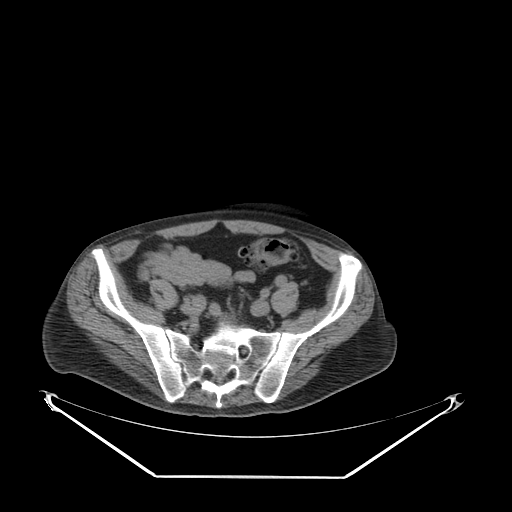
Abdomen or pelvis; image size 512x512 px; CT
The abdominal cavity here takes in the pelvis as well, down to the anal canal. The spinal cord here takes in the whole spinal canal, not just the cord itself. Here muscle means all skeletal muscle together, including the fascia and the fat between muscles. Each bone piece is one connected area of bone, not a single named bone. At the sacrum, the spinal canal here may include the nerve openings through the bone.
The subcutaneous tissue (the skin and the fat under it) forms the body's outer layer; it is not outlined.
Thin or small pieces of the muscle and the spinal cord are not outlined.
The abdominal cavity is outlined by 218 223; 234 233; 299 239; 331 273; 324 303; 285 318; 299 302; 291 280; 270 298; 283 318; 276 330; 223 317; 195 347; 187 333; 167 327; 163 313; 175 305; 175 289; 154 278; 148 303; 138 300; 118 265; 146 238; 193 236. The bones are outlined by 94 248; 102 248; 132 316; 187 334; 195 348; 223 318; 262 332; 306 331; 331 308; 340 252; 362 268; 347 309; 296 350; 274 402; 263 402; 253 383; 224 394; 217 408; 216 395; 196 381; 174 402; 165 399; 141 337; 100 299, around a hole outlined by 206 370; 208 370; 213 377; 215 376; 227 376; 228 377; 231 374; 231 372; 232 371; 234 371; 235 372; 235 374; 234 375; 234 377; 232 379; 230 379; 229 378; 222 384; 217 384; 215 383; 210 378; 209 378; 205 375; 205 371. The torso is outlined by 259 201; 288 204; 317 216; 324 222; 321 224; 324 228; 345 239; 363 256; 374 276; 385 315; 397 332; 396 354; 385 370; 293 411; 201 417; 146 406; 79 375; 56 372; 47 364; 41 345; 44 314; 67 270; 90 242; 159 217. The spinal cord is outlined by 206 370; 208 370; 213 377; 215 376; 227 376; 228 377; 231 374; 231 372; 232 371; 234 371; 235 372; 235 374; 234 375; 234 377; 232 379; 230 379; 229 378; 222 384; 217 384; 215 383; 210 378; 209 378; 205 375; 205 371. The muscle appears in 5 outlined pieces: piece 1: 216 218; 266 222; 332 241; 353 252; 355 255; 344 251; 340 251; 338 254; 339 276; 332 302; 327 312; 306 330; 297 332; 277 330; 284 318; 272 307; 271 298; 274 292; 286 282; 291 281; 297 284; 297 306; 284 318; 295 318; 302 310; 319 308; 325 303; 326 286; 332 273; 313 258; 308 247; 299 238; 291 234; 281 232; 234 232; 223 223; 218 222; 210 229; 193 235; 154 234; 146 237; 130 256; 117 265; 125 284; 136 300; 146 304; 149 303; 151 299; 150 282; 154 279; 167 282; 177 295; 174 305; 162 313; 166 327; 141 321; 132 315; 120 298; 114 274; 103 248; 94 247; 102 242; 141 231; 157 230; piece 2: 90 250; 90 254; 94 259; 97 268; 97 292; 99 299; 107 309; 123 319; 140 337; 154 369; 157 382; 162 391; 163 397; 167 402; 163 401; 133 377; 111 363; 98 351; 98 349; 71 319; 67 310; 66 303; 68 280; 75 267; piece 3: 363 264; 371 280; 374 292; 374 304; 371 316; 359 330; 349 339; 346 340; 329 356; 317 374; 300 388; 292 391; 282 399; 276 401; 284 386; 289 368; 299 347; 309 337; 336 321; 348 309; 352 303; 356 292; 357 278; 363 268; piece 4: 253 384; 253 393; 259 399; 260 399; 262 402; 255 402; 254 403; 249 403; 248 404; 244 404; 243 405; 234 405; 229 407; 222 407; 223 403; 221 400; 222 399; 222 397; 224 395; 234 391; 239 386; 250 386; piece 5: 195 382; 199 384; 200 389; 202 391; 205 391; 208 393; 213 393; 215 395; 215 401; 214 402; 214 406; 215 407; 209 407; 204 405; 197 405; 196 404; 191 404; 190 403; 177 403; 175 402; 178 399; 182 398; 184 396; 187 388.